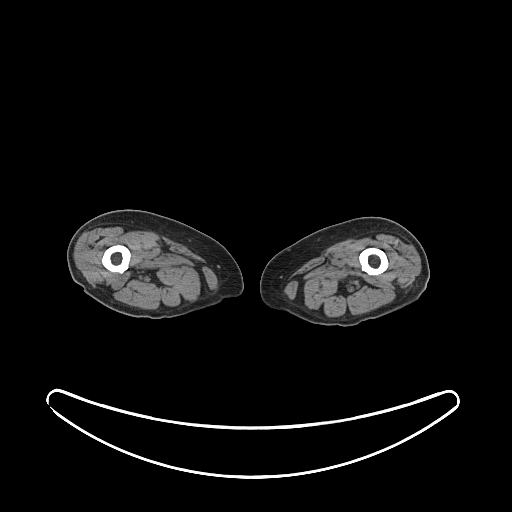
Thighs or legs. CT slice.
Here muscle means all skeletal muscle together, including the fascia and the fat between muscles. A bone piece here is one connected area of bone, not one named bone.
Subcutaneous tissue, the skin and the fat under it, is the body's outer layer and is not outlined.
{"left_leg":[[[361,216],[379,216],[391,219],[408,229],[422,245],[427,256],[430,276],[425,290],[417,301],[379,318],[369,319],[358,325],[348,327],[316,325],[299,319],[287,312],[271,309],[263,303],[259,290],[260,277],[265,265],[276,253],[298,239],[318,229]]],"muscle":[{"outer":[[106,223],[127,224],[148,228],[161,236],[165,236],[186,246],[220,273],[218,289],[214,293],[200,297],[196,301],[184,306],[175,307],[169,310],[149,311],[124,304],[115,300],[104,291],[92,287],[75,265],[73,258],[74,246],[80,235],[90,226]],"hole":[[115,244],[122,244],[126,246],[129,249],[130,251],[130,254],[131,255],[130,256],[130,260],[129,261],[129,265],[128,266],[128,268],[122,273],[119,273],[118,272],[112,272],[108,270],[104,267],[101,261],[101,259],[102,258],[104,251],[108,247]]},{"outer":[[374,231],[386,231],[401,235],[415,247],[420,256],[421,259],[421,271],[416,277],[411,287],[400,298],[389,304],[372,310],[364,315],[360,315],[344,319],[333,319],[332,318],[315,316],[293,305],[285,297],[281,288],[281,284],[289,274],[334,243]],"hole":[[367,247],[377,247],[383,250],[385,252],[387,256],[387,259],[388,260],[388,266],[386,270],[385,270],[382,273],[378,275],[369,275],[366,272],[363,271],[361,269],[361,265],[359,262],[359,254],[362,250],[363,250]]}],"right_leg":[[[123,209],[145,210],[167,216],[185,223],[217,240],[234,257],[241,270],[244,283],[242,293],[237,297],[226,298],[220,303],[204,309],[177,317],[161,319],[127,316],[105,307],[85,294],[69,273],[66,260],[68,243],[74,232],[89,219],[105,212]]],"bones":[[[367,247],[377,247],[383,250],[385,252],[387,256],[387,259],[388,260],[388,266],[386,270],[385,270],[382,273],[378,275],[369,275],[366,272],[363,271],[361,269],[361,265],[359,262],[359,254],[362,250],[363,250]],[[115,244],[122,244],[126,246],[129,249],[130,251],[130,254],[131,255],[130,256],[130,260],[129,261],[129,265],[128,266],[128,268],[122,273],[119,273],[118,272],[112,272],[108,270],[104,267],[101,261],[101,259],[102,258],[104,251],[108,247]]]}